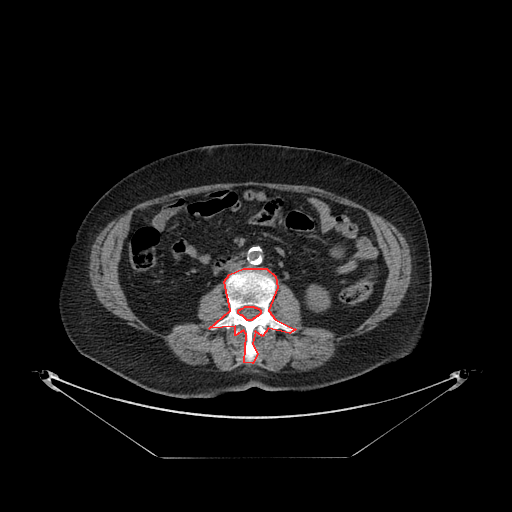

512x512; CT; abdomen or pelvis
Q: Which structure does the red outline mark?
A: red: bones.
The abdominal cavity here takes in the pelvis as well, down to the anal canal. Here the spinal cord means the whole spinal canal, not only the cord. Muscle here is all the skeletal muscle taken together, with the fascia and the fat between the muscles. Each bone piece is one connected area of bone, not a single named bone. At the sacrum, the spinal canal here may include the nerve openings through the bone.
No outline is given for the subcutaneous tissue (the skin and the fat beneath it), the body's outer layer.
Outlines:
bones: 243 268; 266 268; 275 276; 277 287; 268 310; 275 319; 295 329; 289 333; 268 328; 262 336; 255 331; 252 343; 257 354; 252 363; 244 362; 246 334; 243 330; 235 335; 235 326; 209 328; 230 310; 224 281; 229 274; inner edge: 245 306; 253 306; 254 307; 256 307; 257 308; 258 308; 260 310; 260 313; 257 316; 256 316; 254 318; 253 318; 251 320; 247 320; 242 315; 241 315; 238 313; 238 310; 239 309; 240 309; 241 308; 242 308
muscle: 246 181; 268 182; 269 183; 282 183; 283 184; 293 184; 294 185; 307 185; 308 186; 313 186; 314 187; 321 188; 327 191; 332 192; 337 195; 345 197; 366 207; 371 211; 376 213; 389 221; 394 225; 401 233; 402 233; 409 246; 410 255; 411 256; 411 278; 410 279; 411 281; 402 303; 393 316; 376 327; 362 334; 355 336; 343 344; 334 355; 324 364; 312 370; 309 371; 302 371; 301 372; 289 372; 288 373; 272 372; 271 371; 258 371; 255 369; 241 369; 237 371; 212 371; 205 368; 193 366; 187 363; 182 362; 164 342; 161 341; 151 334; 149 334; 142 330; 137 329; 135 327; 123 322; 107 312; 95 296; 94 290; 91 285; 90 278; 89 277; 89 269; 88 268; 89 265; 89 258; 91 252; 91 246; 94 242; 95 238; 106 223; 135 204; 146 199; 153 198; 167 193; 170 193; 174 191; 177 191; 181 189; 185 189; 190 187; 196 187; 197 186; 208 185; 209 184; 215 184; 216 183; 235 183; 236 182; 245 182, around a hole outlined by 242 186; 314 194; 366 214; 387 275; 361 323; 341 334; 303 325; 299 300; 277 278; 268 310; 295 332; 255 331; 257 354; 245 363; 243 330; 209 328; 230 310; 222 282; 200 297; 201 321; 166 333; 132 310; 118 266; 134 213
spinal cord: 245 306; 253 306; 254 307; 256 307; 257 308; 258 308; 260 310; 260 313; 257 316; 256 316; 254 318; 253 318; 251 320; 247 320; 242 315; 241 315; 238 313; 238 310; 239 309; 240 309; 241 308; 242 308
abdominal cavity: 242 186; 314 194; 366 214; 387 275; 380 303; 361 323; 341 334; 324 327; 303 325; 299 300; 266 267; 232 271; 223 282; 200 297; 197 315; 201 321; 176 324; 166 333; 148 325; 132 310; 120 285; 118 266; 134 213; 176 197
torso: 246 142; 314 148; 351 157; 383 171; 411 196; 425 226; 432 271; 430 302; 419 345; 396 361; 313 391; 268 391; 251 387; 216 397; 191 399; 150 392; 81 355; 63 328; 58 292; 75 233; 92 205; 116 182; 152 160; 199 146